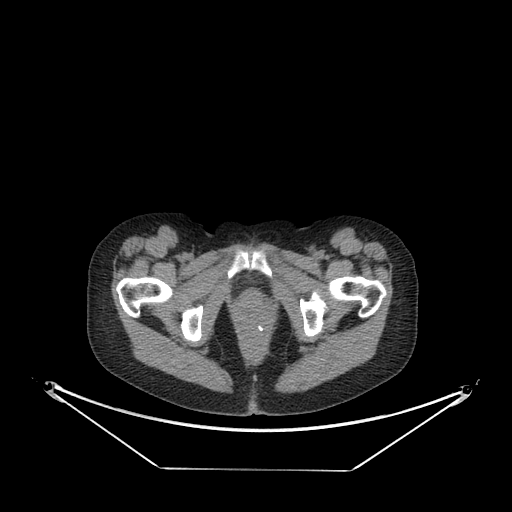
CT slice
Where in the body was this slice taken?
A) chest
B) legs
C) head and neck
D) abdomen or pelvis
Answer: D) abdomen or pelvis
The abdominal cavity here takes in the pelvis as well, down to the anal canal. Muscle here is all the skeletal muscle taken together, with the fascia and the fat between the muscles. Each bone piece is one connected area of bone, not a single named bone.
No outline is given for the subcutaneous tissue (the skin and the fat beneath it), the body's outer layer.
The muscle is outlined by (162, 224) (171, 225) (178, 232) (183, 264) (232, 244) (263, 242) (318, 260) (332, 234) (342, 227) (350, 226) (378, 236) (392, 265) (393, 292) (375, 354) (360, 366) (311, 389) (279, 393) (273, 390) (274, 383) (285, 365) (300, 356) (299, 343) (291, 333) (286, 312) (281, 307) (279, 310) (278, 324) (263, 362) (246, 368) (224, 304) (214, 324) (208, 355) (229, 372) (234, 382) (232, 393) (210, 390) (135, 359) (111, 295) (114, 258) (126, 237), around holes outlined by (238, 249) (245, 250) (249, 253) (254, 250) (262, 250) (272, 271) (272, 275) (268, 279) (276, 303) (275, 315) (273, 318) (273, 325) (265, 342) (263, 353) (256, 361) (248, 360) (242, 349) (234, 316) (230, 309) (230, 304) (228, 303) (232, 279) (227, 277) (227, 270) and by (356, 275) (361, 275) (368, 279) (377, 279) (384, 285) (386, 289) (386, 295) (383, 298) (376, 311) (371, 315) (364, 318) (362, 318) (358, 315) (358, 309) (360, 306) (359, 301) (357, 300) (344, 301) (332, 298) (327, 288) (329, 281) (334, 278) (342, 276) (355, 276) and by (143, 276) (152, 276) (162, 280) (171, 287) (172, 289) (172, 295) (166, 301) (161, 303) (143, 303) (141, 305) (140, 308) (140, 316) (136, 318) (135, 317) (132, 317) (127, 314) (122, 308) (119, 302) (118, 294) (116, 291) (116, 285) (117, 283) (124, 277) (142, 277) and by (314, 290) (318, 290) (321, 297) (326, 302) (328, 309) (324, 313) (323, 316) (323, 324) (322, 325) (322, 329) (321, 331) (313, 336) (306, 336) (303, 329) (303, 319) (300, 311) (299, 300) (300, 298) (303, 298) (305, 300) (308, 300) (310, 298) (311, 294) and by (200, 304) (201, 304) (203, 306) (203, 312) (202, 313) (202, 317) (201, 318) (201, 338) (198, 341) (190, 341) (189, 340) (186, 340) (183, 337) (183, 334) (182, 333) (181, 327) (180, 326) (180, 324) (181, 323) (181, 312) (186, 308) (188, 308) (189, 307) (195, 307). The abdominal cavity is outlined by (243, 270) (256, 270) (265, 275) (269, 280) (276, 303) (273, 325) (267, 336) (263, 353) (261, 357) (256, 361) (248, 360) (242, 349) (240, 336) (238, 335) (239, 334) (236, 329) (234, 316) (232, 314) (232, 310) (230, 309) (230, 304) (228, 303) (232, 285) (232, 278). The bones appear in 5 outlined pieces: piece 1: (356, 275) (361, 275) (368, 279) (377, 279) (384, 285) (386, 289) (386, 295) (383, 298) (376, 311) (371, 315) (364, 318) (362, 318) (358, 315) (358, 309) (360, 306) (359, 301) (357, 300) (344, 301) (332, 298) (327, 288) (329, 281) (334, 278) (342, 276) (355, 276); piece 2: (143, 276) (152, 276) (162, 280) (171, 287) (172, 289) (172, 295) (166, 301) (161, 303) (143, 303) (141, 305) (140, 308) (140, 316) (136, 318) (135, 317) (132, 317) (127, 314) (122, 308) (119, 302) (118, 294) (116, 291) (116, 285) (117, 283) (124, 277) (142, 277); piece 3: (314, 290) (318, 290) (321, 297) (326, 302) (328, 309) (324, 313) (323, 316) (323, 324) (322, 325) (322, 329) (321, 331) (313, 336) (306, 336) (303, 329) (303, 319) (300, 311) (299, 300) (300, 298) (303, 298) (305, 300) (308, 300) (310, 298) (311, 294); piece 4: (238, 249) (245, 250) (249, 253) (254, 250) (262, 250) (264, 252) (266, 260) (269, 266) (271, 268) (272, 271) (272, 275) (271, 277) (268, 277) (265, 274) (256, 269) (243, 269) (237, 272) (230, 279) (229, 279) (227, 277) (227, 270) (230, 267) (233, 261) (235, 253); piece 5: (200, 304) (201, 304) (203, 306) (203, 312) (202, 313) (202, 317) (201, 318) (201, 338) (198, 341) (190, 341) (189, 340) (186, 340) (183, 337) (183, 334) (182, 333) (181, 327) (180, 326) (180, 324) (181, 323) (181, 312) (186, 308) (188, 308) (189, 307) (195, 307). The torso is outlined by (151, 211) (188, 213) (209, 231) (222, 220) (250, 223) (284, 218) (303, 226) (338, 213) (384, 224) (412, 253) (419, 281) (418, 333) (409, 361) (398, 374) (355, 399) (290, 416) (236, 417) (196, 412) (118, 379) (97, 361) (87, 339) (87, 268) (95, 246) (116, 224).